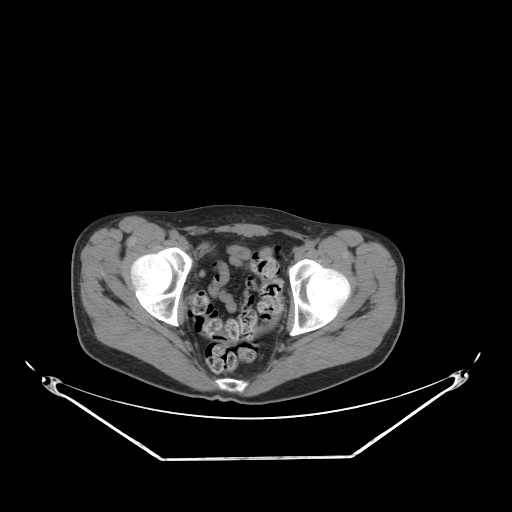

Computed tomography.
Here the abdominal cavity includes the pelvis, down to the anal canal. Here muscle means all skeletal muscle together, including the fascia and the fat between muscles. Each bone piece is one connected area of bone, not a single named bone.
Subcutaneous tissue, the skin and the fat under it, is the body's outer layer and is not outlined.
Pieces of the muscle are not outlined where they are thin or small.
{"torso":[[[211,204],[271,207],[311,220],[371,228],[391,239],[404,259],[405,311],[401,332],[385,361],[369,372],[313,394],[265,404],[241,404],[170,392],[104,366],[86,354],[77,339],[70,288],[71,253],[79,233],[95,219],[111,213],[132,210],[175,211]]],"muscle":[[[130,215],[177,227],[244,222],[308,235],[366,233],[397,266],[395,317],[363,358],[257,395],[232,393],[243,392],[249,384],[244,379],[272,359],[291,294],[292,337],[331,322],[351,284],[312,258],[290,264],[293,246],[302,241],[281,232],[186,234],[192,257],[178,246],[143,253],[131,262],[129,279],[139,304],[174,327],[180,325],[183,289],[185,332],[220,390],[194,389],[100,342],[82,305],[81,248],[98,226]]],"abdominal_cavity":[[[209,232],[230,232],[246,237],[281,233],[301,241],[294,244],[290,252],[287,275],[291,293],[286,325],[281,339],[269,362],[253,375],[243,379],[228,376],[216,377],[210,374],[200,363],[185,328],[184,285],[194,261],[192,245],[186,235],[195,236]]],"bones":[[[304,258],[315,260],[324,267],[333,268],[344,274],[350,284],[351,293],[345,303],[337,313],[336,316],[331,321],[317,329],[292,336],[289,335],[289,331],[292,328],[293,320],[294,319],[294,303],[290,287],[290,282],[288,275],[288,267],[297,261]],[[167,247],[178,247],[180,248],[186,252],[192,258],[193,261],[191,268],[187,274],[178,302],[178,307],[177,308],[177,319],[179,323],[178,326],[168,324],[151,315],[140,304],[135,295],[134,287],[130,279],[130,266],[136,258],[143,254],[157,252]],[[225,377],[228,377],[229,378],[235,378],[236,379],[241,379],[242,380],[247,381],[248,382],[248,384],[245,387],[243,391],[241,392],[229,392],[225,390],[221,390],[214,381],[215,379],[217,378],[224,378]]]}